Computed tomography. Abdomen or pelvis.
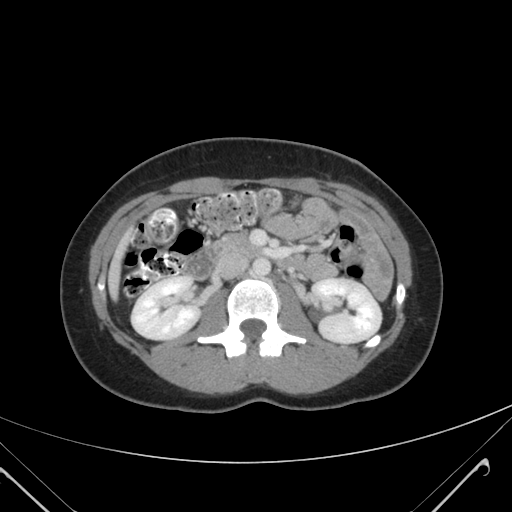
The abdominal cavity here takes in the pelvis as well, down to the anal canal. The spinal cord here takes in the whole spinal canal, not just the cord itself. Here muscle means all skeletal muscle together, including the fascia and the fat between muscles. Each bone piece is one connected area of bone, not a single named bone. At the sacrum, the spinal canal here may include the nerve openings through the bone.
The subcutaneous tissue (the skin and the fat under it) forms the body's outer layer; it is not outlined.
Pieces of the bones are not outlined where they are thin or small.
{"torso":[[[206,414],[257,401],[287,409],[318,411],[374,400],[399,389],[425,362],[442,309],[440,257],[417,214],[359,160],[329,148],[286,139],[200,139],[164,150],[129,169],[102,194],[77,226],[62,260],[59,303],[66,337],[79,364],[101,387],[133,403]]],"abdominal_cavity":[[[339,345],[360,345],[389,328],[396,270],[365,218],[318,196],[247,184],[173,201],[137,218],[108,263],[109,311],[116,324],[139,341],[155,344],[180,337],[198,324],[215,291],[229,292],[239,280],[257,277],[277,291],[280,281],[287,283],[315,331]]],"bones":[{"outer":[[228,357],[243,354],[249,347],[257,349],[261,356],[279,356],[284,344],[305,343],[306,341],[304,337],[291,334],[281,328],[277,320],[279,298],[272,285],[266,280],[246,278],[236,283],[226,301],[228,324],[218,333],[197,338],[200,343],[221,344]],"hole":[[251,337],[255,337],[261,334],[261,333],[265,329],[266,327],[264,322],[263,322],[261,320],[258,320],[257,319],[248,319],[247,320],[245,320],[243,321],[241,323],[240,325],[240,329],[245,334],[245,335],[247,336],[250,336]]},[[365,347],[374,347],[375,346],[376,346],[379,343],[379,342],[380,341],[380,339],[381,338],[381,336],[380,335],[380,334],[376,334],[374,336],[373,336],[369,340],[368,340],[364,344],[364,346]]],"spinal_cord":[[[251,337],[255,337],[261,334],[261,333],[265,329],[266,327],[264,322],[263,322],[261,320],[258,320],[257,319],[248,319],[247,320],[245,320],[243,321],[241,323],[240,325],[240,329],[245,334],[245,335],[247,336],[250,336]]],"muscle":[{"outer":[[214,395],[238,392],[252,384],[266,385],[291,395],[313,394],[333,387],[354,377],[381,352],[393,344],[405,323],[408,312],[412,288],[411,254],[409,244],[402,231],[387,209],[378,199],[345,183],[318,179],[308,176],[267,177],[260,179],[200,176],[180,180],[163,188],[141,194],[121,205],[111,215],[102,227],[90,250],[88,265],[89,291],[91,301],[97,316],[116,342],[138,356],[159,377],[171,384],[190,391]],"hole":[[228,357],[249,347],[279,356],[284,344],[305,343],[277,320],[280,281],[323,339],[376,346],[405,288],[375,228],[338,204],[265,184],[173,201],[137,218],[97,282],[114,321],[148,344],[175,339],[226,288],[228,324],[197,341],[221,344]]}]}